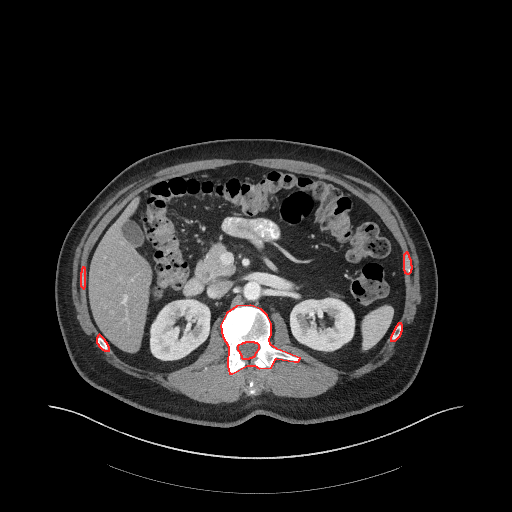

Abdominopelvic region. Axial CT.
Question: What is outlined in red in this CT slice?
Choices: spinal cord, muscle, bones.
Answer: red: bones.
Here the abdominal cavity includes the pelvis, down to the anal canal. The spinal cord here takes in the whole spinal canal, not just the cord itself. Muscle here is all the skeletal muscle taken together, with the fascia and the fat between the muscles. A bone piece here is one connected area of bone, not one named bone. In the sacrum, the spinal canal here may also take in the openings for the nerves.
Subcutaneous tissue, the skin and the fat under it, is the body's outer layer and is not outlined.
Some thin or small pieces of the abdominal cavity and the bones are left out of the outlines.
Outlined structures:
bones 1: [[229,373],[232,373],[247,365],[254,365],[259,368],[271,367],[276,358],[294,361],[298,361],[300,358],[277,349],[270,344],[269,339],[271,334],[271,323],[267,315],[261,309],[250,305],[236,306],[226,313],[220,325],[222,336],[228,346],[227,366]]; inner edge: [[242,358],[249,358],[250,357],[252,357],[253,356],[254,356],[255,355],[256,352],[259,348],[259,345],[257,343],[255,343],[254,342],[245,342],[244,343],[242,343],[241,344],[238,345],[237,346],[237,349],[239,351],[239,352],[241,355],[241,357]]
bones 2: [[406,273],[409,273],[411,271],[411,269],[412,268],[412,266],[411,265],[411,260],[410,259],[410,258],[409,257],[409,255],[408,254],[408,253],[407,252],[406,252],[403,255],[403,269],[404,270],[404,272],[405,272]]
bones 3: [[390,340],[395,340],[400,335],[400,334],[401,333],[401,331],[402,330],[402,325],[401,324],[401,323],[398,323],[397,324],[397,325],[395,327],[395,328],[394,329],[394,330],[393,331],[393,332],[392,333],[392,334],[391,335],[391,336],[390,337]]
bones 4: [[104,350],[109,350],[109,347],[108,346],[108,345],[107,344],[107,343],[105,341],[105,340],[99,334],[97,336],[97,337],[96,338],[96,342],[98,344],[98,345],[102,349],[103,349]]
bones 5: [[83,288],[84,288],[84,287],[85,286],[85,268],[84,267],[82,267],[82,268],[81,269],[81,272],[80,273],[80,285]]
spinal cord: [[242,358],[249,358],[250,357],[252,357],[253,356],[254,356],[255,355],[256,352],[259,348],[259,345],[257,343],[255,343],[254,342],[245,342],[244,343],[242,343],[241,344],[238,345],[237,346],[237,349],[239,351],[239,352],[241,355],[241,357]]
muscle: [[213,404],[225,404],[233,402],[248,395],[246,393],[248,390],[248,382],[251,379],[254,381],[254,386],[257,392],[256,394],[271,393],[277,396],[285,396],[286,397],[312,397],[316,396],[323,393],[331,387],[338,385],[340,383],[343,383],[351,378],[359,377],[375,369],[383,364],[391,357],[395,351],[395,348],[398,342],[407,332],[409,325],[413,321],[415,314],[418,309],[418,303],[420,301],[421,297],[420,294],[420,283],[419,282],[419,261],[415,250],[415,246],[398,211],[392,202],[377,187],[360,178],[343,174],[341,172],[336,172],[314,163],[294,160],[293,159],[286,159],[285,158],[256,158],[255,159],[213,158],[212,159],[203,159],[202,160],[196,160],[195,161],[184,162],[172,165],[163,168],[147,177],[135,181],[117,194],[111,197],[91,219],[76,248],[74,254],[73,267],[72,268],[72,281],[71,282],[72,300],[76,312],[76,317],[81,328],[89,337],[99,354],[110,364],[115,367],[133,376],[136,376],[139,378],[149,379],[179,395],[182,395],[201,402],[212,403]], around a hole outlined by [[229,373],[271,367],[276,358],[300,359],[270,344],[274,311],[293,345],[339,368],[367,361],[400,335],[403,273],[411,271],[411,260],[363,200],[315,176],[232,164],[148,186],[104,229],[80,273],[98,345],[132,365],[170,371],[198,357],[221,316]]
torso: [[222,428],[258,414],[289,423],[314,424],[364,413],[402,394],[421,367],[438,300],[434,255],[407,202],[374,169],[352,154],[272,138],[217,139],[159,151],[118,173],[79,214],[63,240],[55,272],[55,308],[67,353],[79,375],[96,389],[145,412]]
abdominal cavity: [[157,371],[193,362],[205,349],[216,318],[243,304],[261,308],[269,318],[279,312],[292,344],[329,365],[348,368],[367,361],[390,336],[403,310],[397,241],[363,200],[311,175],[243,163],[148,186],[96,241],[85,289],[90,317],[114,352],[132,365]]